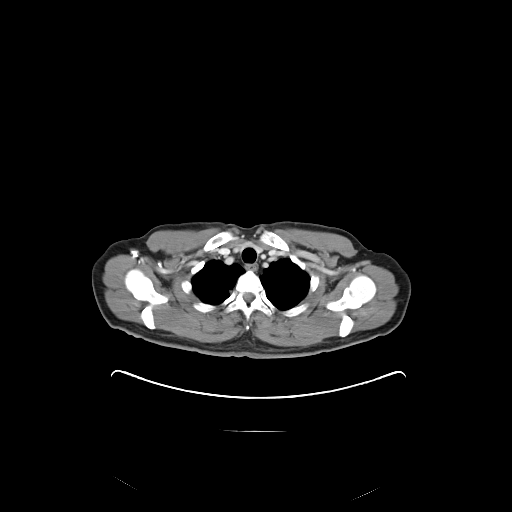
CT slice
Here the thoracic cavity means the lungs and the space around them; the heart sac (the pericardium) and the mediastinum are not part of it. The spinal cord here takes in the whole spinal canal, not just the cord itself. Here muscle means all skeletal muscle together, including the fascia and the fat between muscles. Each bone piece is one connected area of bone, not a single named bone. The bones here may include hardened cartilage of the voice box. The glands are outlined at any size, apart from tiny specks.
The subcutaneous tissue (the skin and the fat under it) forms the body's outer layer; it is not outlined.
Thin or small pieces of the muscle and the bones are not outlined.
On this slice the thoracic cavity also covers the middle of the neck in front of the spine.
right arm: 133,237 137,237 146,263 146,266 141,273 139,278 130,288 125,290 123,292 108,297 95,300 92,291 92,286 91,285 91,269 93,263 95,260 102,254 106,248 113,242 115,242 118,240 127,239
left arm: 374,251 377,252 384,252 393,257 407,272 410,278 411,281 411,295 410,296 410,299 408,303 408,306 405,315 403,318 399,316 387,314 363,295 363,290 361,285 361,272 362,271 362,268 365,259
spinal cord: 247,292 249,292 250,293 251,293 253,295 253,296 254,297 253,298 253,299 249,303 247,303 245,301 245,300 243,298 243,295 245,293 246,293
torso: 281,220 339,227 373,250 364,259 360,285 366,299 387,315 403,319 388,334 337,350 301,357 221,357 166,347 134,337 110,327 101,315 95,301 130,289 147,266 138,237 152,227 186,221 223,221 250,227
thyroid glands 1: 245,242 249,242 250,243 251,243 250,244 248,244 247,245 246,245 245,246 244,246 239,251 238,251 237,252 236,251 235,251 234,250 234,247 235,246 236,246 238,244 241,244 242,243 244,243
thyroid glands 2: 254,245 255,245 256,245 257,245 258,246 259,246 260,246 261,247 262,248 263,249 262,250 261,251 260,251 259,251 258,251 257,250 256,249 256,248 255,247 255,246
thoracic cavity: 252,243 258,252 271,249 280,257 289,258 308,274 307,294 301,301 289,308 279,309 267,297 259,275 252,269 246,269 237,277 229,295 221,302 214,304 200,300 193,291 192,277 224,248 233,248 237,253
muscle: 213,227 247,234 259,227 292,227 342,235 359,260 392,272 399,285 396,309 382,325 351,333 354,320 345,311 358,309 377,293 375,281 359,273 340,297 325,303 326,309 340,313 338,337 308,346 278,346 246,332 219,343 201,342 156,329 153,308 169,297 132,267 123,284 146,303 139,314 143,325 118,318 101,287 109,258 145,249 158,230; inner edges: 245,242 271,249 280,257 294,254 309,272 318,275 316,289 301,300 309,304 306,310 290,317 254,310 247,320 239,309 201,312 192,306 198,296 181,287 182,281 192,278 191,268 216,258 224,248, then 223,230 229,230 231,231 233,233 233,234 237,237 237,238 233,240 230,240 226,242 224,244 217,247 214,250 212,250 211,251 207,251 206,252 203,251 202,249 205,243 212,236 213,236 215,234, then 264,230 269,230 270,231 272,231 276,234 277,234 280,237 281,237 286,242 287,245 289,247 289,250 288,251 285,251 284,250 282,250 278,248 275,248 268,244 263,243 259,239 259,237 262,233 262,232
bones 1: 246,270 258,275 266,297 279,310 289,309 301,302 307,302 308,307 290,317 278,312 268,316 260,310 254,310 248,320 239,309 227,313 221,307 207,312 195,309 192,304 199,300 214,305 225,300 238,277, around a hole outlined by 247,292 249,292 250,293 251,293 253,295 253,296 254,297 253,298 253,299 249,303 247,303 245,301 245,300 243,298 243,295 245,293 246,293
bones 2: 359,274 367,275 374,281 376,286 376,293 372,299 358,308 346,309 344,311 353,320 353,326 349,334 341,337 338,335 341,313 339,311 333,311 326,308 326,303 340,298 343,293 343,290 349,284 350,281
bones 3: 132,268 138,268 140,269 151,280 154,289 157,292 168,297 167,302 160,304 156,304 152,308 155,329 150,329 146,327 140,317 141,311 147,303 145,301 136,299 125,287 124,284 125,274 128,270
bones 4: 223,230 229,230 231,231 233,233 233,234 237,237 237,238 233,240 230,240 226,242 224,244 217,247 214,250 212,250 211,251 207,251 206,252 203,251 202,249 205,243 212,236 213,236 215,234
bones 5: 264,230 269,230 270,231 272,231 276,234 277,234 280,237 281,237 286,242 287,245 289,247 289,250 288,251 285,251 284,250 282,250 278,248 275,248 268,244 263,243 259,239 259,237 262,233 262,232
bones 6: 289,253 294,254 299,259 303,261 306,264 306,267 309,272 312,272 314,274 318,275 319,277 319,283 316,289 311,293 308,293 309,284 310,283 310,276 309,273 307,271 300,268 294,263 290,259 288,255
bones 7: 184,280 190,280 190,282 191,283 191,285 192,286 192,291 190,293 186,293 182,289 182,288 181,287 181,282 182,281 183,281
bones 8: 202,260 203,260 205,262 204,263 204,264 203,265 203,266 201,268 201,269 200,269 196,273 195,273 192,276 191,276 190,275 190,271 191,270 191,268 193,266 194,266 196,264 197,264 200,261 201,261